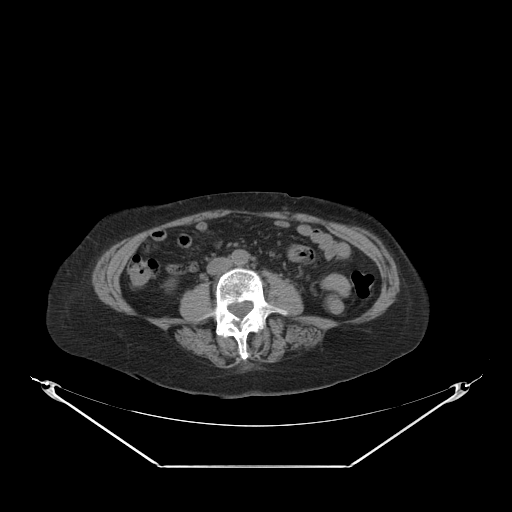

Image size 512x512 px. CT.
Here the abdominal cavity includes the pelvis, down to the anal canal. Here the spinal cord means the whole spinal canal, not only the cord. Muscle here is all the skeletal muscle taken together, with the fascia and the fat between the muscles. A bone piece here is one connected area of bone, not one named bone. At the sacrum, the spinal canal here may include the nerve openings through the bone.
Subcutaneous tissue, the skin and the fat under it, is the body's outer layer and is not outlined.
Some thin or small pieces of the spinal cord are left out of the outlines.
The muscle is outlined by 215 209; 241 209; 248 211; 281 211; 286 210; 291 212; 306 213; 326 220; 343 223; 348 225; 356 225; 371 231; 382 241; 396 264; 400 282; 400 287; 396 296; 396 300; 379 316; 363 323; 352 324; 345 327; 331 328; 325 333; 322 341; 309 350; 303 351; 300 354; 292 355; 287 358; 284 358; 278 362; 264 364; 263 365; 264 367; 261 369; 253 369; 244 372; 236 372; 234 369; 225 369; 216 367; 207 359; 200 357; 190 351; 184 349; 174 339; 169 332; 168 333; 167 331; 165 331; 141 318; 128 315; 120 311; 117 311; 104 303; 99 299; 92 285; 92 272; 97 260; 107 249; 116 242; 168 221; 194 213, around a hole outlined by 228 214; 323 226; 374 262; 379 295; 343 320; 302 314; 294 284; 264 269; 265 300; 287 313; 248 333; 246 359; 233 336; 216 334; 212 316; 202 318; 216 305; 208 280; 183 292; 180 317; 141 313; 120 289; 130 254; 156 230. The abdominal cavity is outlined by 228 214; 323 226; 374 262; 381 281; 379 295; 359 315; 343 320; 302 314; 301 294; 288 278; 264 269; 262 279; 255 270; 236 266; 219 276; 213 303; 207 280; 183 292; 180 317; 141 313; 120 289; 120 275; 130 254; 156 230. The bones are outlined by 236 267; 255 271; 262 280; 265 300; 287 312; 285 315; 270 313; 266 317; 263 329; 248 333; 246 349; 249 356; 246 359; 241 358; 237 341; 233 336; 224 337; 216 334; 216 320; 212 316; 202 318; 216 305; 217 282; 220 276; inner edge: 244 301; 248 301; 249 302; 250 302; 251 303; 252 306; 251 307; 251 308; 249 310; 249 311; 244 316; 243 316; 241 318; 240 318; 238 316; 233 314; 228 309; 228 306; 229 305; 230 305; 233 303; 240 303; 241 302; 243 302. The spinal cord is outlined by 244 301; 248 301; 249 302; 250 302; 251 303; 252 306; 251 307; 251 308; 249 310; 249 311; 244 316; 243 316; 241 318; 240 318; 238 316; 233 314; 228 309; 228 306; 229 305; 230 305; 233 303; 240 303; 241 302; 243 302. The torso is outlined by 248 190; 325 197; 355 205; 379 218; 399 241; 429 293; 429 322; 422 340; 413 350; 377 370; 321 389; 284 395; 220 398; 190 394; 136 379; 68 354; 55 345; 44 321; 49 285; 61 261; 98 219; 114 209; 133 203.